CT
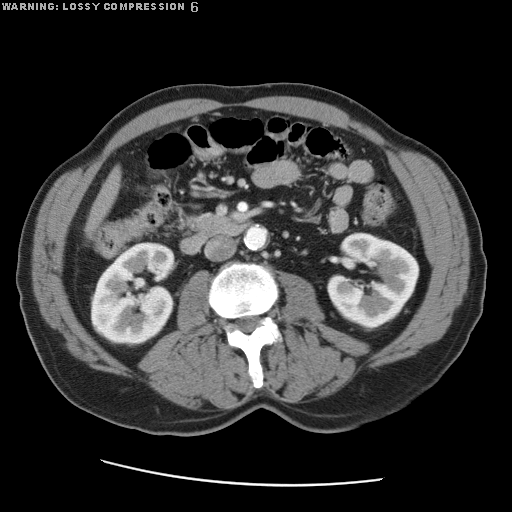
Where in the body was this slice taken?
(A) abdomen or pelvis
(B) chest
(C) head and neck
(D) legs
(A) abdomen or pelvis
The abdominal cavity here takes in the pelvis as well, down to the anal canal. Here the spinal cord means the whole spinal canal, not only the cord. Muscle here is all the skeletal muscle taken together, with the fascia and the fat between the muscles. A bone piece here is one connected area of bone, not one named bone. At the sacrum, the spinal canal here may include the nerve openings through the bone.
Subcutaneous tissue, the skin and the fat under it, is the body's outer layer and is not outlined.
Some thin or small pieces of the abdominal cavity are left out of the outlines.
spinal cord: (258, 315) (261, 316) (261, 318) (259, 320) (259, 325) (258, 325) (251, 332) (250, 332) (249, 333) (245, 333) (237, 328) (234, 328) (234, 325) (232, 322) (232, 321) (233, 320) (234, 320) (237, 318) (240, 318) (241, 317) (244, 317) (245, 316) (257, 316)
bones: (232, 262) (269, 266) (274, 272) (279, 288) (279, 297) (269, 314) (278, 326) (282, 341) (266, 344) (260, 350) (259, 359) (263, 372) (263, 385) (260, 388) (255, 388) (252, 385) (245, 354) (240, 348) (229, 345) (223, 327) (225, 322) (208, 302) (211, 280) (222, 266) with a hole at (258, 315) (261, 316) (261, 318) (259, 320) (259, 325) (258, 325) (251, 332) (250, 332) (249, 333) (245, 333) (237, 328) (234, 328) (234, 325) (232, 322) (232, 321) (233, 320) (234, 320) (237, 318) (240, 318) (241, 317) (244, 317) (245, 316) (257, 316)
torso: (276, 81) (319, 85) (349, 96) (432, 148) (461, 180) (479, 220) (487, 259) (483, 312) (463, 351) (431, 388) (405, 408) (344, 432) (304, 430) (259, 408) (210, 433) (155, 435) (78, 408) (44, 371) (19, 308) (17, 248) (38, 188) (114, 114) (149, 92) (185, 83)
muscle: (273, 95) (305, 97) (334, 105) (351, 118) (376, 130) (395, 146) (428, 156) (444, 172) (458, 198) (467, 227) (470, 270) (467, 291) (442, 337) (412, 356) (376, 368) (363, 367) (339, 390) (319, 399) (290, 403) (259, 393) (237, 407) (219, 410) (193, 410) (180, 406) (161, 396) (145, 382) (93, 369) (72, 355) (64, 345) (65, 338) (42, 318) (31, 281) (35, 219) (54, 181) (64, 172) (95, 157) (125, 123) (158, 105) (185, 98) (237, 102), around a hole outlined by (232, 106) (351, 129) (383, 151) (431, 270) (415, 313) (381, 348) (327, 324) (312, 284) (280, 269) (269, 314) (282, 341) (260, 350) (260, 388) (209, 305) (214, 275) (207, 269) (181, 286) (176, 327) (135, 369) (78, 320) (61, 277) (64, 248) (104, 162) (158, 126)
abdominal cavity: (232, 106) (351, 129) (383, 151) (410, 201) (431, 270) (415, 313) (381, 348) (372, 351) (367, 342) (327, 324) (309, 281) (254, 262) (232, 261) (214, 275) (196, 271) (179, 291) (176, 327) (135, 369) (97, 343) (78, 320) (61, 277) (64, 248) (104, 162) (158, 126)